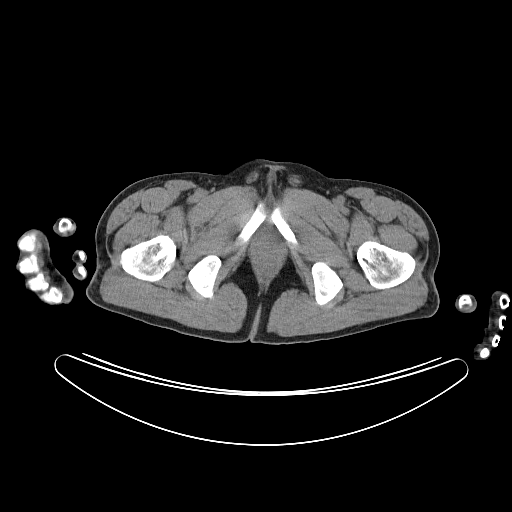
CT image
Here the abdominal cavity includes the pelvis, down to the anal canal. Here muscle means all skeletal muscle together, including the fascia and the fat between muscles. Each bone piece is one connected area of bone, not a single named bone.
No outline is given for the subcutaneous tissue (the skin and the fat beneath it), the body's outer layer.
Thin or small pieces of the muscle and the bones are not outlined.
Outlines:
left arm 1: [[497,289],[503,290],[509,298],[509,302],[505,308],[506,311],[503,315],[506,317],[506,324],[504,329],[500,329],[498,335],[499,343],[489,353],[489,355],[483,360],[475,360],[473,358],[473,348],[481,341],[484,328],[488,324],[490,297],[491,294]]
left arm 2: [[468,293],[471,293],[475,296],[476,298],[476,301],[477,302],[477,305],[476,306],[476,308],[472,312],[470,312],[469,313],[462,313],[458,311],[455,308],[454,306],[454,302],[455,301],[455,299],[456,297],[458,295],[460,295],[461,294],[467,294]]
torso: [[256,158],[298,162],[329,177],[377,182],[411,196],[428,213],[439,238],[440,253],[434,273],[439,294],[437,311],[430,317],[336,339],[270,345],[248,340],[225,343],[184,335],[92,303],[85,290],[96,266],[96,225],[122,189],[157,174],[220,174]]
bones 1: [[367,240],[377,241],[382,244],[389,246],[394,249],[396,249],[400,251],[406,251],[409,254],[410,254],[415,260],[415,268],[412,274],[403,282],[389,288],[377,289],[372,286],[365,276],[356,258],[356,251],[357,250],[357,248],[364,241],[366,241]]
bones 2: [[159,234],[168,235],[175,243],[176,246],[176,260],[174,265],[167,272],[166,272],[159,280],[155,282],[142,280],[136,278],[134,276],[127,273],[122,268],[119,261],[120,260],[120,255],[122,251],[125,248],[129,246],[132,246],[141,241],[147,240]]
bones 3: [[30,232],[33,232],[36,236],[33,251],[37,258],[39,270],[48,285],[58,288],[63,294],[59,303],[47,303],[42,300],[40,298],[42,290],[31,290],[27,286],[27,281],[36,273],[22,273],[18,269],[18,263],[30,254],[18,247],[18,241]]
bones 4: [[260,202],[263,204],[264,210],[268,216],[275,207],[278,206],[280,208],[283,217],[295,235],[299,245],[298,248],[290,247],[275,225],[267,219],[260,224],[252,234],[247,243],[235,245],[235,240],[238,234],[241,231],[249,216],[255,209],[257,204]]
bones 5: [[210,254],[214,254],[218,256],[222,262],[215,280],[215,283],[214,284],[214,290],[213,291],[213,296],[211,298],[207,298],[206,297],[203,297],[200,295],[193,288],[187,277],[187,274],[189,270],[196,262],[197,262],[204,256],[206,256]]
bones 6: [[316,261],[323,261],[327,263],[337,273],[343,283],[343,286],[342,288],[337,293],[337,294],[330,301],[323,305],[319,305],[317,304],[315,301],[315,297],[314,296],[314,287],[313,286],[313,279],[312,278],[312,275],[311,274],[311,267]]
bones 7: [[62,218],[66,218],[67,219],[68,219],[74,225],[74,229],[73,230],[72,230],[71,231],[67,231],[66,232],[60,232],[58,230],[58,224],[59,223],[59,222],[60,221],[60,220]]
bones 8: [[463,294],[467,294],[470,297],[470,298],[471,299],[471,304],[470,305],[469,305],[468,304],[465,304],[464,305],[463,305],[462,306],[462,307],[460,307],[459,306],[459,298]]
bones 9: [[502,294],[506,294],[507,295],[507,296],[509,298],[509,302],[508,303],[508,304],[506,306],[506,307],[505,307],[504,308],[502,308],[500,306],[500,304],[499,303],[499,298],[500,297],[500,296]]
right arm 1: [[30,228],[38,228],[48,234],[50,238],[51,260],[70,284],[74,291],[73,298],[68,304],[61,304],[57,306],[49,304],[45,301],[42,301],[30,289],[28,289],[26,287],[23,274],[16,267],[16,264],[20,250],[18,247],[18,238],[23,232]]
right arm 2: [[60,217],[70,217],[74,220],[75,222],[75,224],[76,225],[76,229],[75,230],[75,232],[71,236],[69,236],[68,237],[62,237],[58,235],[55,232],[54,232],[52,228],[53,226],[53,224],[56,220],[56,219]]
right arm 3: [[76,250],[80,250],[86,257],[86,260],[82,266],[86,273],[86,275],[85,276],[85,279],[83,280],[78,280],[76,278],[75,278],[72,272],[72,270],[75,264],[72,260],[72,254]]
abdominal cavity: [[265,229],[271,229],[279,235],[281,238],[281,241],[283,245],[284,253],[283,254],[283,258],[281,260],[279,265],[277,266],[271,275],[264,281],[260,277],[258,270],[256,268],[254,262],[253,252],[252,251],[256,236],[261,231]]
muscle 1: [[171,179],[223,187],[252,186],[261,197],[276,197],[285,188],[337,189],[351,185],[390,192],[409,205],[428,230],[429,254],[422,272],[428,287],[426,301],[402,315],[335,331],[279,336],[266,331],[273,303],[286,290],[306,291],[307,288],[288,255],[268,286],[260,289],[246,255],[223,281],[237,285],[247,299],[243,325],[236,332],[190,327],[105,302],[99,286],[110,265],[105,232],[111,212],[140,186],[154,180]], around holes outlined by [[367,240],[377,241],[382,244],[389,246],[394,249],[396,249],[400,251],[406,251],[409,254],[410,254],[415,260],[415,268],[412,274],[403,282],[389,288],[377,289],[372,286],[365,276],[356,258],[356,251],[357,250],[357,248],[364,241],[366,241]] and by [[159,234],[168,235],[175,243],[176,246],[176,260],[174,265],[167,272],[166,272],[159,280],[155,282],[142,280],[136,278],[134,276],[127,273],[122,268],[119,261],[120,260],[120,255],[122,251],[125,248],[129,246],[132,246],[141,241],[147,240]] and by [[265,229],[271,229],[279,235],[281,238],[281,241],[283,245],[284,253],[283,254],[283,258],[281,260],[279,265],[277,266],[271,275],[264,281],[260,277],[258,270],[256,268],[254,262],[253,252],[252,251],[256,236],[261,231]] and by [[260,202],[263,204],[264,210],[268,216],[275,207],[278,206],[280,208],[283,217],[295,235],[299,245],[298,248],[290,247],[275,225],[267,219],[260,224],[252,234],[247,243],[235,245],[235,240],[238,234],[241,231],[249,216],[255,209],[257,204]] and by [[210,254],[214,254],[218,256],[222,262],[215,280],[215,283],[214,284],[214,290],[213,291],[213,296],[211,298],[207,298],[206,297],[203,297],[200,295],[193,288],[187,277],[187,274],[189,270],[196,262],[197,262],[204,256],[206,256]] and by [[316,261],[323,261],[327,263],[337,273],[343,283],[343,286],[342,288],[337,293],[337,294],[330,301],[323,305],[319,305],[317,304],[315,301],[315,297],[314,296],[314,287],[313,286],[313,279],[312,278],[312,275],[311,274],[311,267]]
muscle 2: [[35,232],[41,236],[45,268],[49,271],[50,276],[59,285],[62,286],[63,285],[67,289],[67,294],[63,299],[64,294],[62,290],[56,286],[53,285],[50,286],[45,279],[44,274],[40,270],[38,258],[34,251],[37,240]]